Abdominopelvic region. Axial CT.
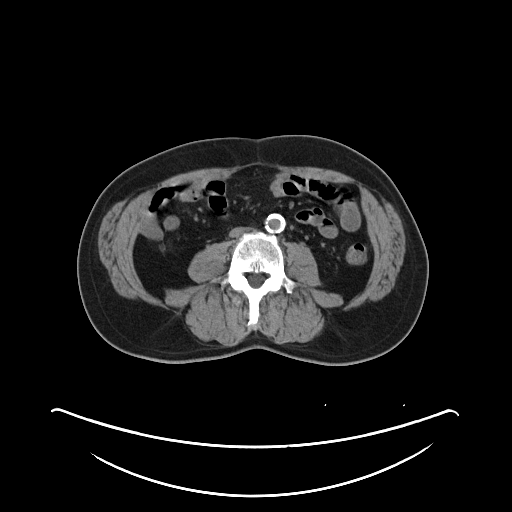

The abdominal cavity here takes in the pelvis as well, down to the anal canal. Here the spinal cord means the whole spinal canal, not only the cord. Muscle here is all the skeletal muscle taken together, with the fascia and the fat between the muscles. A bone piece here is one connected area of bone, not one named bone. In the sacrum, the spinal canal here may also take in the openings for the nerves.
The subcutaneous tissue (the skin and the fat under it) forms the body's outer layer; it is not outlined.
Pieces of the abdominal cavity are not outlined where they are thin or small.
Outlines:
bones: 254,231 261,231 276,237 284,256 284,271 297,284 290,293 282,287 276,292 268,292 263,296 259,302 257,323 248,327 249,302 245,295 228,284 222,289 218,281 212,282 212,280 226,275 236,243 243,233; inner edge: 251,273 254,273 255,274 258,274 259,273 261,273 262,274 263,274 265,276 264,277 264,280 262,282 262,283 258,287 253,287 249,283 249,281 248,280 248,274 250,274
spinal cord: 251,273 254,273 255,274 258,274 259,273 261,273 262,274 263,274 265,276 264,277 264,280 262,282 262,283 258,287 253,287 249,283 249,281 248,280 248,274 250,274
muscle: 257,160 342,172 376,191 393,206 403,225 405,253 388,294 346,311 332,309 321,333 307,342 278,344 258,331 235,345 222,346 199,342 169,310 126,298 115,290 97,246 101,221 115,203 143,186 179,173, around a hole outlined by 255,165 357,186 374,253 360,293 345,301 320,287 302,241 283,250 284,271 297,284 263,296 251,327 245,295 212,282 229,268 226,241 194,254 186,271 196,284 166,288 162,299 145,288 134,246 154,193
abdominal cavity: 255,165 357,186 374,253 360,293 345,301 323,289 316,259 304,242 289,241 283,251 276,236 261,230 243,232 232,252 226,241 197,251 186,270 196,284 166,288 162,299 145,288 135,267 134,246 154,193
torso: 281,134 310,134 341,142 374,161 400,191 419,228 429,262 423,305 405,338 378,357 349,365 317,364 264,349 205,361 163,363 124,353 106,342 86,314 76,271 80,236 102,190 129,166 185,142